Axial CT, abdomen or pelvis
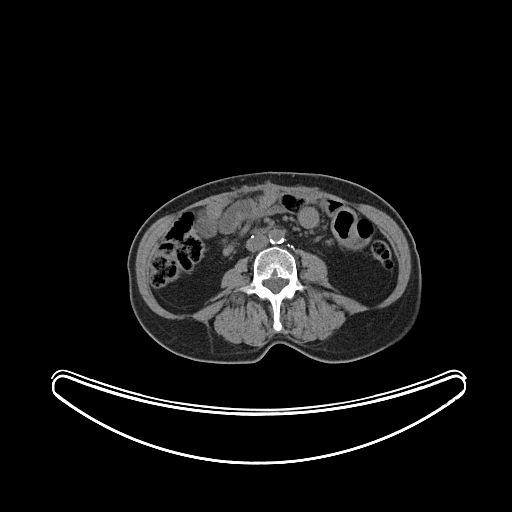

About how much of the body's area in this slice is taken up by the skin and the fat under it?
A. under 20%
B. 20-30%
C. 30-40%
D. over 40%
Answer: B. 20-30%
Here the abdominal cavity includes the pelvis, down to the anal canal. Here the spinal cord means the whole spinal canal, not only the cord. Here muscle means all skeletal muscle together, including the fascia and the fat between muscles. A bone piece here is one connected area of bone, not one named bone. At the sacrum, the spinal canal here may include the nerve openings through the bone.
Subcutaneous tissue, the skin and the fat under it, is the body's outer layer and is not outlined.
Outlines (x, y in pixels):
bones: 270,246 285,248 293,255 297,268 297,277 306,287 302,291 296,291 292,298 286,298 282,301 280,305 282,328 279,331 273,328 273,310 266,299 261,299 256,294 247,294 237,290 251,282 256,254; inner edge: 271,278 280,278 286,281 286,283 285,285 283,286 282,288 277,293 274,293 272,291 271,291 271,290 269,289 266,286 265,286 264,284 264,281 266,280 268,280
muscle: 267,181 285,186 303,185 310,187 318,187 323,191 334,194 348,201 371,205 390,216 402,230 407,240 411,256 410,276 406,288 402,295 394,302 383,308 358,312 349,316 345,322 332,335 317,344 309,346 299,344 289,339 285,335 277,333 269,339 265,344 260,347 255,346 252,348 239,347 226,341 221,336 217,335 213,330 211,329 209,330 202,322 195,320 168,319 164,318 152,311 143,300 139,292 135,272 135,259 137,249 146,230 159,218 167,214 174,213 184,207 208,196 218,194 222,192 231,191 233,188 238,188 243,185 254,185 264,183; inner edge: 270,189 338,200 369,218 397,261 388,295 369,305 341,293 324,260 301,250 297,277 306,288 282,301 279,331 266,299 237,290 251,282 247,257 224,272 221,289 201,308 162,306 149,269 172,222 186,210
torso: 267,170 343,178 375,192 400,214 420,257 422,301 415,324 399,342 373,355 343,363 318,361 287,345 275,344 254,363 220,364 174,354 142,328 129,299 126,263 132,239 144,220 163,203 194,186 225,176
spinal cord: 271,278 280,278 286,281 286,283 285,285 283,286 282,288 277,293 274,293 272,291 271,291 271,290 269,289 266,286 265,286 264,284 264,281 266,280 268,280
abdominal cavity: 270,189 338,200 369,218 397,261 388,295 362,303 329,281 319,256 301,250 298,271 287,248 270,245 255,254 251,280 248,258 242,257 224,272 221,289 206,305 191,313 162,306 149,269 172,222 186,210